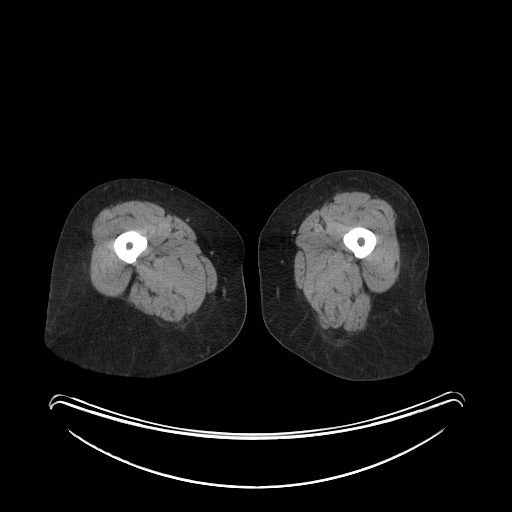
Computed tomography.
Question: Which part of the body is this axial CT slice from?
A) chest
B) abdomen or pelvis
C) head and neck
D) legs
Answer: D) legs
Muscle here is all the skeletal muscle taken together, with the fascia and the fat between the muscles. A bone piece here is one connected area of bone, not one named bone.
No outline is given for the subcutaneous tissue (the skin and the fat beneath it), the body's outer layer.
{"muscle":[{"outer":[[345,191],[367,192],[372,197],[384,199],[391,205],[396,214],[395,229],[401,265],[396,282],[373,303],[368,325],[363,333],[355,340],[336,342],[319,333],[312,310],[297,291],[293,273],[296,251],[294,231],[309,213],[320,208],[336,193]],"hole":[[355,226],[361,226],[362,227],[367,228],[371,231],[372,231],[375,234],[375,235],[376,236],[376,244],[375,245],[374,248],[368,255],[367,255],[363,258],[357,258],[354,255],[354,254],[344,244],[344,243],[343,242],[343,235],[351,228],[352,228]]},{"outer":[[128,200],[154,202],[167,208],[172,214],[187,220],[187,223],[196,234],[196,242],[216,270],[216,289],[205,299],[194,319],[183,330],[161,328],[124,301],[116,299],[106,300],[91,284],[89,264],[93,246],[91,236],[93,221],[102,209]],"hole":[[128,230],[135,230],[139,232],[142,235],[145,236],[147,239],[147,246],[146,248],[142,252],[140,253],[140,254],[137,257],[137,258],[133,263],[127,263],[120,259],[117,256],[112,247],[112,244],[115,238],[119,234],[125,231],[127,231]]}],"right_leg":[[[128,177],[159,180],[179,187],[197,197],[235,227],[245,248],[243,271],[247,294],[247,313],[244,324],[236,338],[223,350],[196,365],[155,378],[104,375],[80,369],[54,355],[45,346],[43,339],[52,260],[69,211],[76,201],[94,186],[109,180]]],"left_leg":[[[344,169],[374,171],[396,181],[415,202],[426,230],[429,243],[429,267],[425,292],[435,339],[430,355],[412,371],[400,376],[374,381],[354,381],[332,375],[315,367],[281,345],[267,330],[262,319],[257,243],[263,225],[280,202],[295,189],[316,177]]],"bones":[[[128,230],[135,230],[139,232],[142,235],[145,236],[147,239],[147,246],[146,248],[142,252],[140,253],[140,254],[137,257],[137,258],[133,263],[127,263],[120,259],[117,256],[112,247],[112,244],[115,238],[119,234],[125,231],[127,231]],[[355,226],[361,226],[362,227],[367,228],[371,231],[372,231],[375,234],[375,235],[376,236],[376,244],[375,245],[374,248],[368,255],[367,255],[363,258],[357,258],[354,255],[354,254],[344,244],[344,243],[343,242],[343,235],[351,228],[352,228]]]}